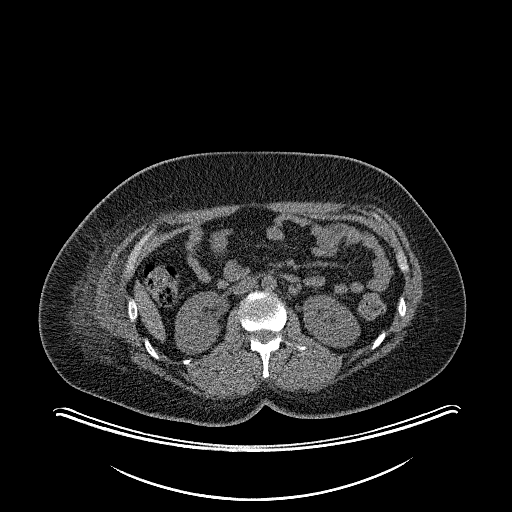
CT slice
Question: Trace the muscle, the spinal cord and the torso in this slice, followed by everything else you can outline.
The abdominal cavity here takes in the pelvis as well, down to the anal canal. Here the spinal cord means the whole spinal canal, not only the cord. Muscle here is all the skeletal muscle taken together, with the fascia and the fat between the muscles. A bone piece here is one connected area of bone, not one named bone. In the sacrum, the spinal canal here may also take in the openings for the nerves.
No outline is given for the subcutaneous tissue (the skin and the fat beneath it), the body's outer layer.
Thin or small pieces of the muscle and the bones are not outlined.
Answer: The muscle is outlined by 279,201 320,201 321,202 330,201 336,203 347,203 351,205 372,203 378,207 382,208 400,225 404,231 410,247 419,263 422,273 423,292 421,301 414,314 411,324 406,328 407,333 401,342 401,344 387,355 373,363 359,369 351,375 339,380 336,383 330,385 326,389 323,389 319,392 315,393 306,393 301,391 289,392 280,389 273,389 264,383 263,385 261,385 260,387 245,396 236,398 232,401 224,400 220,403 219,401 205,399 201,396 191,393 185,389 174,385 170,381 165,380 158,375 153,374 147,370 139,369 131,361 129,357 127,345 122,342 122,340 120,338 112,336 101,328 94,319 92,315 93,306 92,302 94,296 94,289 96,287 96,282 100,273 107,264 115,249 126,236 136,228 141,226 146,221 147,222 150,221 152,218 158,214 167,213 170,211 196,210 206,207 208,208 220,205 241,204 250,202 268,203 with holes at 246,207 305,214 319,219 351,220 373,229 395,254 400,248 407,258 409,270 402,273 401,292 406,305 405,315 402,317 395,310 385,329 386,335 376,348 371,350 370,343 350,354 340,354 304,334 298,316 286,306 287,318 280,331 282,337 291,343 305,345 306,349 298,350 282,342 270,353 269,375 264,378 261,357 250,348 249,333 241,325 236,306 227,317 223,339 208,353 184,364 156,349 159,359 155,359 144,345 137,322 130,321 128,316 131,297 128,286 133,274 123,273 126,258 139,239 154,227 155,231 136,259 137,265 151,251 186,229 and at 373,213 376,213 378,215 379,215 382,218 382,219 384,221 385,221 386,222 386,223 388,226 387,227 386,227 383,225 380,225 381,224 377,220 376,220 375,219 375,218 373,216. The spinal cord is outlined by 259,330 268,330 269,331 271,331 272,332 273,332 275,334 275,336 272,339 269,340 267,342 266,342 265,343 263,343 262,342 261,342 258,339 257,339 255,337 255,336 254,335 254,333 256,331 258,331. The torso is outlined by 243,150 355,158 385,171 413,196 448,244 465,290 463,335 441,372 399,397 357,412 305,419 264,405 249,419 226,426 142,414 83,392 58,374 40,339 39,299 54,258 79,223 116,186 144,168 189,154. The bones appear in 8 outlined pieces: piece 1: 256,290 275,295 284,304 287,318 280,331 282,337 291,343 306,346 306,349 298,350 282,342 278,349 270,353 269,375 265,378 262,376 261,357 256,351 251,350 249,333 241,325 237,312 240,302 249,293; inner edge: 259,330 268,330 269,331 271,331 272,332 273,332 275,334 275,336 272,339 269,340 267,342 266,342 265,343 263,343 262,342 261,342 258,339 257,339 255,337 255,336 254,335 254,333 256,331 258,331; piece 2: 154,227 155,227 155,231 148,240 146,244 147,245 146,247 145,248 144,247 141,250 139,255 136,259 136,267 134,273 127,274 126,275 124,274 123,273 123,267 126,261 126,258 132,250 134,245 144,234; piece 3: 399,248 400,248 403,251 403,252 404,253 404,254 405,255 405,256 407,258 407,262 409,265 409,270 407,272 402,272 401,271 401,270 400,269 400,268 398,265 398,262 396,259 396,253 397,252 397,251; piece 4: 130,298 132,298 134,300 134,301 135,302 135,303 136,304 136,306 137,307 137,316 136,317 136,319 134,321 133,321 132,322 131,321 130,321 130,320 129,319 129,317 128,316 128,300; piece 5: 144,337 145,337 148,339 149,342 151,344 151,345 153,347 153,348 155,350 155,351 159,356 159,359 158,360 157,359 155,359 147,351 147,350 146,349 146,348 144,345 144,341 143,340; piece 6: 401,295 403,297 403,298 405,301 405,304 406,305 406,312 405,313 405,315 403,317 402,317 401,316 400,316 400,315 398,312 398,310 397,309 397,306 398,305 398,299 399,298 399,297; piece 7: 384,330 386,332 386,335 385,336 385,337 384,338 383,341 376,348 375,348 374,349 371,350 371,346 372,345 372,344 373,343 374,340 378,336 378,335 382,331 383,331; piece 8: 373,213 376,213 378,215 379,215 382,218 382,219 384,221 385,221 386,222 386,223 388,226 387,227 386,227 383,225 380,225 381,224 377,220 376,220 375,219 375,218 373,216. The abdominal cavity is outlined by 246,207 351,220 373,229 391,247 404,280 390,325 371,343 350,354 340,354 304,334 296,313 275,294 256,289 231,310 223,339 208,353 194,359 174,360 155,349 138,330 138,307 128,292 138,263 186,229.